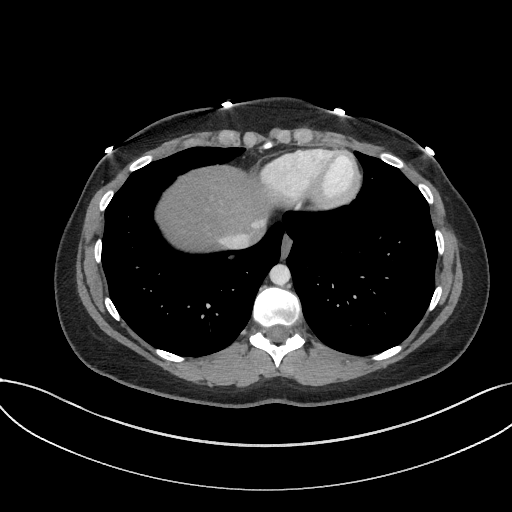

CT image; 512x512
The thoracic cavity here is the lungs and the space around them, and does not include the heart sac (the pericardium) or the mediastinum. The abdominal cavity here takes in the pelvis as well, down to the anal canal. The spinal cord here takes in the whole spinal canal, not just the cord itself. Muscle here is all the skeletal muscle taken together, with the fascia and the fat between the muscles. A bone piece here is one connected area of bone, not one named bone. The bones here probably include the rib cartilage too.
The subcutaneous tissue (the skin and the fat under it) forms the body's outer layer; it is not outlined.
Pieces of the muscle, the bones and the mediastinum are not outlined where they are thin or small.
{"thoracic_cavity":[[[183,356],[226,347],[252,321],[285,231],[322,342],[358,355],[400,343],[435,286],[417,187],[355,150],[363,182],[349,204],[286,211],[252,246],[194,255],[163,239],[155,204],[179,175],[245,148],[190,147],[132,172],[105,210],[109,296],[138,335]]],"abdominal_cavity":[[[194,254],[247,247],[257,242],[271,224],[267,222],[269,214],[255,198],[251,178],[247,175],[247,172],[243,166],[238,166],[232,162],[229,162],[227,164],[207,166],[190,170],[179,176],[164,190],[160,196],[154,209],[154,220],[162,236],[175,249]]],"muscle":[[[236,387],[276,376],[313,386],[352,379],[403,358],[449,317],[463,282],[458,241],[439,193],[410,164],[402,160],[401,170],[416,185],[423,182],[431,189],[432,223],[444,235],[444,253],[437,257],[435,272],[435,283],[443,287],[443,293],[401,343],[404,348],[380,361],[326,346],[303,320],[298,330],[306,342],[286,354],[278,368],[265,351],[249,343],[248,336],[256,329],[253,322],[244,335],[218,352],[185,357],[179,363],[160,358],[123,320],[117,322],[106,310],[105,276],[93,256],[93,244],[102,236],[104,224],[98,201],[107,189],[115,192],[120,187],[131,162],[97,190],[86,211],[76,258],[77,291],[88,313],[109,336],[172,374],[198,384]],[[376,157],[378,157],[378,154],[382,151],[387,151],[392,153],[384,147],[363,141],[359,141],[351,136],[347,136],[336,132],[311,129],[315,134],[315,138],[313,141],[306,144],[309,145],[323,145],[330,147],[341,147],[342,148],[347,147],[362,151]],[[154,159],[166,156],[182,149],[183,147],[181,145],[181,142],[185,138],[191,136],[200,136],[208,139],[210,142],[207,145],[224,146],[215,140],[215,136],[221,130],[227,129],[194,132],[170,139],[157,147],[144,152],[141,155],[149,153],[153,155]],[[259,148],[259,146],[264,141],[268,139],[272,140],[275,145],[277,144],[278,143],[274,139],[273,134],[278,129],[284,128],[274,127],[266,134],[261,134],[255,131],[245,131],[243,132],[236,130],[241,134],[242,134],[246,131],[252,131],[254,132],[258,138],[258,143],[255,146]]],"bones":[{"outer":[[276,367],[279,366],[282,357],[286,353],[301,347],[305,342],[305,340],[297,330],[297,327],[303,319],[300,302],[295,293],[278,287],[265,286],[259,290],[254,301],[252,320],[256,325],[257,329],[250,334],[249,341],[252,345],[265,350],[272,357]],"hole":[[275,343],[280,343],[281,342],[283,342],[284,340],[288,336],[289,336],[290,334],[290,332],[289,331],[289,329],[287,327],[285,326],[283,326],[282,325],[274,325],[266,329],[266,331],[265,332],[265,334],[266,336],[268,337],[272,342],[274,342]]},[[245,147],[252,147],[257,143],[257,138],[255,134],[252,132],[246,132],[241,135],[235,130],[230,130],[228,129],[227,130],[223,130],[221,131],[218,133],[216,136],[216,140],[219,143],[225,146],[229,146],[230,145],[237,146],[242,143]],[[299,145],[305,144],[313,140],[314,138],[314,134],[310,129],[308,129],[307,128],[298,128],[297,129],[295,129],[292,132],[286,129],[282,129],[281,130],[278,130],[274,134],[274,137],[275,139],[279,143],[289,143],[293,140]],[[374,360],[380,360],[381,359],[384,359],[385,358],[387,358],[388,357],[390,357],[394,355],[396,353],[400,351],[403,348],[403,345],[401,344],[399,344],[389,349],[387,349],[380,353],[378,353],[377,354],[372,355],[371,358]],[[400,169],[401,168],[402,168],[404,166],[404,163],[399,158],[398,158],[396,156],[395,156],[392,154],[390,154],[387,152],[382,152],[379,154],[379,158],[380,159],[381,159],[383,161],[384,161],[385,162],[386,162],[393,166],[395,166]],[[131,172],[132,171],[134,171],[144,166],[146,164],[152,161],[153,160],[153,157],[152,155],[150,155],[149,154],[148,155],[144,155],[143,156],[141,156],[139,157],[137,159],[133,161],[130,164],[128,168],[129,171]],[[177,362],[183,361],[184,360],[184,357],[174,354],[173,353],[171,353],[170,352],[168,352],[167,351],[165,351],[164,350],[162,350],[161,349],[158,349],[157,348],[155,348],[154,349],[154,352],[160,357],[164,359],[167,359],[172,361],[176,361]],[[426,313],[431,311],[435,307],[436,304],[438,302],[438,301],[439,300],[439,298],[442,293],[442,287],[440,285],[437,285],[435,287],[435,289],[433,292],[433,294],[432,295],[432,297],[430,300],[430,302],[429,303],[429,305],[426,310]],[[184,148],[186,148],[187,147],[189,147],[190,146],[195,146],[196,145],[206,145],[207,144],[208,144],[209,141],[206,139],[204,139],[203,138],[201,138],[200,137],[191,137],[190,138],[188,138],[187,139],[185,139],[182,142],[182,145],[184,147]],[[117,321],[119,321],[122,319],[121,318],[121,317],[119,315],[116,308],[114,306],[114,305],[113,304],[113,303],[111,301],[110,298],[108,296],[106,296],[104,298],[104,302],[105,303],[105,306],[106,307],[107,310],[109,312],[109,313]],[[101,211],[104,211],[104,210],[106,208],[107,205],[109,203],[109,202],[110,201],[110,200],[111,199],[112,196],[114,194],[114,191],[112,189],[109,189],[108,190],[107,190],[103,194],[103,195],[101,197],[101,198],[99,201],[99,209]],[[429,204],[432,204],[433,203],[433,196],[432,195],[432,193],[431,192],[430,189],[425,184],[424,184],[423,183],[419,183],[417,185],[417,186],[418,187],[418,188],[420,190],[421,193],[423,195],[423,196],[425,198],[425,199]],[[439,255],[441,255],[443,253],[443,249],[444,248],[444,239],[443,238],[443,235],[442,234],[442,233],[441,232],[441,231],[439,229],[435,229],[435,239],[436,240],[436,244],[437,245],[437,251],[438,252],[438,254]],[[98,263],[101,263],[101,238],[97,238],[97,239],[96,240],[96,241],[95,242],[95,243],[94,244],[94,256],[95,257],[95,259],[96,260],[96,261]]],"mediastinum":[[[294,292],[295,292],[293,288],[291,274],[286,264],[286,258],[289,253],[291,247],[291,244],[292,243],[292,240],[285,232],[281,243],[280,257],[279,260],[268,272],[260,288],[263,287],[265,285],[268,286],[278,286],[282,288],[289,289]],[[244,166],[258,155],[261,155],[264,153],[268,153],[271,151],[284,148],[285,147],[296,147],[299,146],[298,145],[291,145],[290,144],[278,144],[268,150],[261,150],[256,147],[246,148],[246,150],[240,156],[235,158],[232,161],[238,165],[243,165]]],"pericardium":[[[270,214],[279,213],[286,210],[328,210],[349,203],[355,197],[362,182],[362,170],[355,156],[349,151],[341,148],[330,148],[323,146],[300,146],[296,148],[285,148],[256,157],[244,167],[246,168],[248,175],[252,178],[252,184],[254,187],[256,198]]],"torso":[[[226,408],[267,403],[316,407],[353,401],[429,378],[465,351],[487,305],[487,252],[470,207],[440,164],[412,137],[378,120],[340,115],[303,98],[267,96],[160,118],[124,139],[94,166],[64,226],[54,262],[56,311],[69,345],[90,369],[123,385]]],"spinal_cord":[[[275,343],[280,343],[281,342],[283,342],[284,340],[288,336],[289,336],[290,334],[290,332],[289,331],[289,329],[287,327],[285,326],[283,326],[282,325],[274,325],[266,329],[266,331],[265,332],[265,334],[266,336],[268,337],[272,342],[274,342]]]}